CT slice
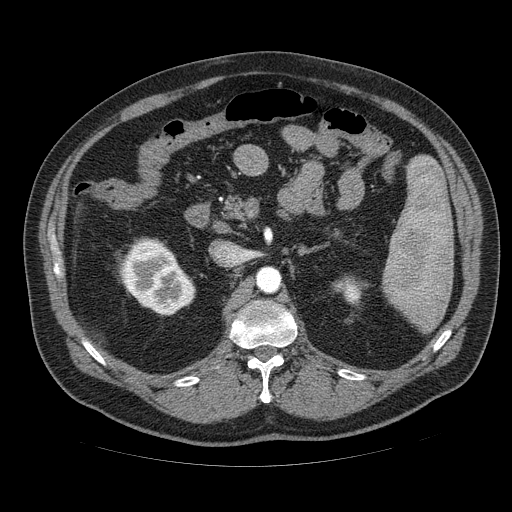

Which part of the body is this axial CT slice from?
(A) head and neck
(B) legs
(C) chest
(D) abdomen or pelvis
(D) abdomen or pelvis
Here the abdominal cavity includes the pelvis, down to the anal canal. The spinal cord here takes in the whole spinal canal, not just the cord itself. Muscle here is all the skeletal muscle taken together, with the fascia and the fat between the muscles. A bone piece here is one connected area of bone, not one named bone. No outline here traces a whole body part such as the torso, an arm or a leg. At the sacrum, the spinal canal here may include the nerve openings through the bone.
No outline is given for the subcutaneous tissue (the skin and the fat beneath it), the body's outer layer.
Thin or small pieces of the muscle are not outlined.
{"abdominal_cavity":[[[256,74],[321,84],[376,105],[417,128],[440,159],[457,221],[461,293],[434,337],[397,367],[360,367],[321,351],[304,322],[269,297],[242,305],[209,355],[167,375],[148,374],[101,349],[74,316],[63,242],[68,186],[83,155],[122,122],[220,80]]],"spinal_cord":[[[263,345],[269,345],[270,346],[275,347],[277,349],[277,352],[274,355],[273,355],[271,357],[270,357],[267,360],[266,360],[265,361],[262,361],[261,360],[260,360],[258,358],[257,358],[253,354],[253,349],[254,349],[259,346],[262,346]]],"muscle":[{"outer":[[252,70],[326,79],[395,101],[453,147],[481,203],[480,280],[458,354],[345,417],[318,421],[267,404],[273,398],[271,372],[285,362],[285,349],[299,334],[296,317],[321,352],[360,368],[392,370],[419,353],[450,319],[463,277],[456,209],[434,146],[408,121],[335,88],[280,74],[237,75],[122,121],[100,137],[71,172],[63,259],[55,222],[50,219],[47,224],[52,272],[58,279],[65,276],[69,307],[85,333],[80,343],[94,360],[108,364],[93,343],[148,375],[177,374],[214,351],[228,321],[227,337],[245,351],[246,366],[259,371],[261,404],[213,423],[193,423],[162,412],[134,393],[80,371],[51,310],[38,227],[48,188],[66,158],[114,114],[142,98]],"holes":[[[340,368],[348,368],[349,369],[352,369],[357,372],[364,373],[366,375],[367,375],[367,377],[365,379],[362,379],[361,380],[351,380],[350,379],[347,379],[346,378],[344,378],[341,376],[339,376],[336,373],[336,371],[337,370],[337,369],[339,369]],[[184,375],[194,375],[195,376],[197,376],[199,378],[199,381],[196,384],[193,384],[192,385],[189,385],[188,386],[176,386],[175,385],[174,385],[172,383],[173,382],[173,381],[176,378],[177,378],[178,377],[180,377],[181,376],[183,376]],[[449,327],[450,327],[452,330],[452,332],[451,333],[451,335],[448,338],[448,339],[443,344],[443,345],[437,351],[436,351],[435,352],[433,352],[433,351],[432,350],[432,345],[439,337],[439,336],[441,334],[441,333],[446,328],[448,328]]]}],"bones":[{"outer":[[258,298],[269,298],[283,304],[291,312],[298,325],[296,338],[284,349],[284,362],[274,367],[270,372],[268,389],[272,398],[268,403],[263,403],[259,398],[263,387],[260,371],[257,368],[251,369],[247,366],[246,351],[228,337],[235,313],[250,300]],"hole":[[263,345],[269,345],[270,346],[275,347],[277,349],[277,352],[274,355],[273,355],[271,357],[270,357],[267,360],[266,360],[265,361],[262,361],[261,360],[260,360],[258,358],[257,358],[253,354],[253,349],[254,349],[259,346],[262,346]]},[[50,220],[52,220],[54,222],[55,225],[55,235],[56,236],[59,249],[61,252],[61,257],[63,260],[63,266],[64,267],[64,272],[65,274],[64,276],[59,278],[58,278],[53,272],[53,258],[50,250],[50,244],[47,237],[48,224]],[[83,335],[85,336],[92,343],[94,347],[104,358],[107,364],[106,366],[104,366],[102,365],[95,359],[94,359],[94,358],[87,351],[87,350],[85,349],[84,346],[81,343],[81,337]],[[340,368],[348,368],[349,369],[352,369],[357,372],[364,373],[366,375],[367,375],[367,377],[365,379],[362,379],[361,380],[351,380],[350,379],[347,379],[346,378],[344,378],[341,376],[339,376],[336,373],[336,371],[337,370],[337,369],[339,369]],[[184,375],[194,375],[195,376],[197,376],[199,378],[199,381],[196,384],[193,384],[192,385],[189,385],[188,386],[176,386],[175,385],[174,385],[172,383],[173,382],[173,381],[176,378],[177,378],[178,377],[180,377],[181,376],[183,376]],[[449,327],[450,327],[452,330],[452,332],[451,333],[451,335],[448,338],[448,339],[443,344],[443,345],[437,351],[436,351],[435,352],[433,352],[433,351],[432,350],[432,345],[439,337],[439,336],[441,334],[441,333],[446,328],[448,328]]]}